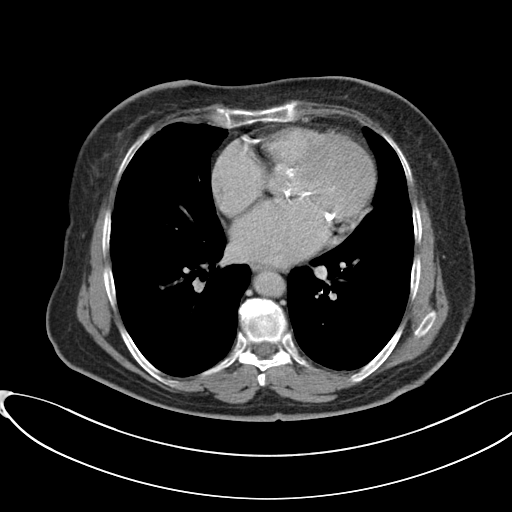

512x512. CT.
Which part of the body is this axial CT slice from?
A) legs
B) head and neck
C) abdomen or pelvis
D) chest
D) chest
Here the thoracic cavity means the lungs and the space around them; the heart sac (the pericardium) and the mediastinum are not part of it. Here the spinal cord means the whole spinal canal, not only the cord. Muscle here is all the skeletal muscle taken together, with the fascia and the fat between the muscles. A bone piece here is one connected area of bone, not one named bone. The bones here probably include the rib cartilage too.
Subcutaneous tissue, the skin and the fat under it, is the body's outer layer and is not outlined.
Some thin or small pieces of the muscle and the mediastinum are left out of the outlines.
The thoracic cavity appears in 2 outlined pieces: piece 1: 176 122; 203 122; 226 130; 226 136; 210 155; 211 194; 226 237; 225 249; 233 250; 235 262; 246 264; 250 270; 237 308; 239 328; 233 345; 214 365; 188 376; 170 375; 156 367; 125 327; 110 251; 112 211; 122 174; 152 135; piece 2: 366 126; 379 134; 394 150; 402 167; 411 206; 413 257; 408 297; 396 329; 382 348; 358 369; 338 370; 313 361; 295 343; 293 333; 288 329; 288 276; 292 269; 308 266; 312 259; 340 244; 373 208; 378 169; 375 155; 363 134. The pericardium is outlined by 314 122; 343 125; 361 133; 365 138; 375 158; 377 169; 377 182; 371 209; 340 243; 307 263; 291 267; 286 274; 242 261; 240 256; 228 247; 228 238; 213 199; 211 168; 216 154; 230 139; 247 134; 258 126; 271 123; 297 125. The spinal cord is outlined by 264 341; 266 342; 269 342; 270 343; 272 343; 274 344; 276 348; 276 350; 275 352; 269 358; 259 358; 258 356; 255 353; 254 353; 252 350; 253 349; 253 346; 254 344; 256 344; 257 343; 260 343. The muscle appears in 4 outlined pieces: piece 1: 124 152; 116 171; 119 181; 113 208; 105 211; 102 221; 101 250; 104 255; 109 250; 111 258; 102 279; 109 304; 112 308; 117 304; 123 343; 134 360; 163 384; 173 388; 178 383; 163 373; 208 376; 237 361; 256 367; 260 371; 256 380; 263 387; 267 369; 293 361; 311 368; 306 357; 333 370; 357 370; 348 378; 353 383; 373 373; 398 343; 408 298; 415 299; 420 284; 421 257; 414 254; 414 243; 421 242; 423 227; 418 203; 409 199; 411 167; 429 210; 449 305; 437 335; 414 359; 346 388; 332 401; 317 403; 282 397; 267 387; 247 402; 228 403; 212 393; 171 392; 126 369; 95 342; 76 316; 93 226; 116 161 with a hole at 433 310; 435 311; 435 313; 436 314; 436 317; 435 318; 435 320; 432 326; 424 335; 420 337; 416 337; 414 335; 414 331; 416 329; 418 325; 421 322; 422 319; 426 315; 426 314; 427 314; 429 312; piece 2: 288 99; 304 99; 318 103; 345 106; 359 110; 379 121; 391 133; 394 139; 385 131; 381 130; 378 133; 369 126; 364 125; 356 119; 346 115; 329 114; 322 116; 304 116; 305 111; 300 105; 300 102; 296 99; 281 104; 274 105; 280 104; 284 102; piece 3: 219 102; 220 103; 223 103; 225 105; 239 107; 222 107; 221 106; 216 106; 207 116; 209 120; 209 123; 203 121; 202 122; 185 122; 184 121; 176 121; 163 126; 153 134; 154 132; 153 129; 151 127; 149 127; 137 137; 142 130; 143 130; 144 128; 150 123; 160 118; 162 118; 168 114; 180 110; 184 110; 190 108; 196 108; 197 107; 202 107; 206 105; 209 105; 213 103; 218 103; piece 4: 395 140; 399 144; 399 145; 401 147; 401 148; 405 153; 405 155; 407 157; 407 158; 409 161; 409 163; 409 162; 408 161; 408 160; 406 158; 404 153; 402 151; 402 150; 400 148; 400 147; 398 145; 398 144; 395 141. The mediastinum appears in 2 outlined pieces: piece 1: 238 256; 242 262; 245 262; 251 266; 271 269; 284 275; 286 275; 290 270; 287 276; 287 298; 286 299; 287 317; 284 310; 275 301; 269 298; 252 297; 247 298; 241 302; 241 298; 250 281; 251 270; 250 267; 246 263; 236 262; piece 2: 329 115; 341 115; 356 120; 365 126; 362 128; 362 133; 346 125; 334 122; 265 123; 258 125; 247 133; 235 135; 226 141; 215 154; 211 162; 211 167; 211 155; 227 136; 228 132; 226 129; 256 122; 292 122; 302 117; 322 117. The bones appear in 11 outlined pieces: piece 1: 252 298; 269 299; 283 310; 288 321; 287 329; 291 331; 294 343; 311 367; 294 360; 291 363; 269 367; 264 371; 263 386; 257 380; 261 371; 252 364; 237 360; 217 372; 201 375; 231 350; 240 328; 238 308; 245 300; inner edge: 264 341; 266 342; 269 342; 270 343; 272 343; 274 344; 276 348; 276 350; 275 352; 269 358; 259 358; 258 356; 255 353; 254 353; 252 350; 253 349; 253 346; 254 344; 256 344; 257 343; 260 343; piece 2: 293 100; 296 100; 299 102; 299 105; 303 109; 304 113; 303 116; 292 121; 256 121; 249 124; 243 124; 230 128; 225 128; 210 123; 210 120; 208 117; 210 113; 216 107; 241 108; 242 109; 263 109; 288 103; piece 3: 403 322; 404 323; 404 327; 403 328; 402 333; 397 343; 387 358; 373 372; 372 372; 367 377; 361 381; 359 382; 353 382; 351 381; 349 379; 350 376; 353 373; 355 373; 361 367; 369 362; 383 348; 383 347; 393 335; 398 326; piece 4: 119 325; 124 326; 141 353; 156 368; 162 372; 161 375; 164 378; 166 379; 173 379; 177 381; 177 383; 175 384; 175 386; 173 387; 172 386; 170 386; 158 380; 148 373; 135 360; 130 353; 120 335; 119 329; 118 328; piece 5: 149 128; 151 128; 152 129; 153 131; 152 134; 149 137; 149 138; 148 138; 137 149; 137 150; 131 158; 130 161; 124 169; 123 172; 121 174; 120 176; 120 178; 119 178; 117 176; 117 171; 128 148; 139 136; 140 136; 147 129; piece 6: 416 254; 419 255; 420 257; 420 264; 421 265; 421 268; 420 269; 420 277; 419 278; 419 284; 418 285; 417 292; 414 299; 411 300; 409 298; 409 292; 410 291; 410 275; 411 274; 411 267; 413 262; 413 258; 414 257; 414 255; piece 7: 381 131; 385 132; 390 137; 391 137; 394 140; 403 153; 405 158; 409 164; 409 166; 411 170; 411 173; 412 174; 412 181; 407 182; 405 177; 403 167; 401 164; 401 162; 399 159; 399 157; 397 153; 379 133; 379 132; piece 8: 107 264; 111 266; 112 274; 113 275; 113 280; 114 281; 114 285; 115 286; 115 295; 116 296; 116 305; 115 307; 112 307; 112 306; 110 304; 110 302; 108 299; 108 296; 105 289; 105 285; 104 284; 104 280; 103 279; 103 269; piece 9: 108 209; 110 210; 111 212; 111 231; 110 232; 110 243; 109 244; 109 249; 104 254; 102 250; 102 243; 101 242; 102 240; 102 227; 103 226; 103 221; 104 220; 104 216; 105 215; 105 213; 106 211; piece 10: 414 201; 415 201; 417 203; 417 205; 418 206; 418 208; 420 212; 420 217; 421 218; 421 226; 422 227; 422 232; 421 233; 421 240; 420 242; 418 243; 414 241; 414 234; 413 233; 413 221; 412 220; 412 206; 411 205; piece 11: 433 310; 435 311; 435 313; 436 314; 436 317; 435 318; 435 320; 432 326; 424 335; 420 337; 416 337; 414 335; 414 331; 416 329; 418 325; 421 322; 422 319; 426 315; 426 314; 427 314; 429 312. The torso is outlined by 297 76; 349 76; 386 87; 421 110; 449 146; 462 184; 476 283; 471 319; 451 355; 423 385; 391 401; 289 421; 237 421; 173 411; 68 367; 48 338; 45 313; 61 268; 72 169; 90 130; 124 99; 156 84; 190 79; 238 85.